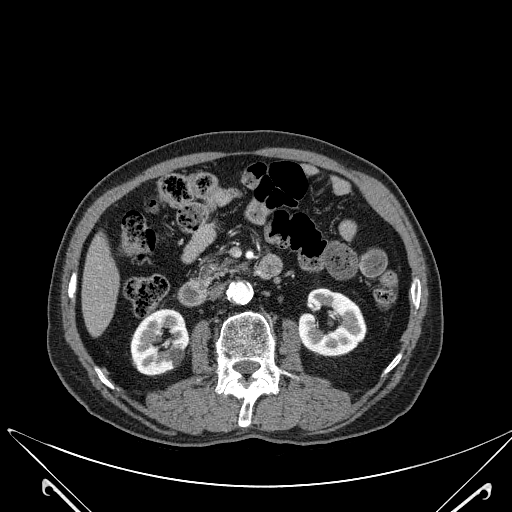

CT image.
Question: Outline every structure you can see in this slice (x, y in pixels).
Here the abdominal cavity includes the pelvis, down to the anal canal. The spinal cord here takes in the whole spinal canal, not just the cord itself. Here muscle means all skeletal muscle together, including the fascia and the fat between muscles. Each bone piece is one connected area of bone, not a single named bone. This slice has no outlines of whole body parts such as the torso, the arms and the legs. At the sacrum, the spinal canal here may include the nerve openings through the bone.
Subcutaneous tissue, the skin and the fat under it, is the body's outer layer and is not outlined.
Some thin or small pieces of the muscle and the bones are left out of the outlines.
Answer: The abdominal cavity is outlined by (240, 155) (344, 175) (401, 239) (408, 319) (397, 352) (365, 390) (305, 372) (298, 324) (281, 320) (277, 348) (270, 322) (250, 309) (222, 321) (213, 366) (211, 320) (199, 320) (190, 332) (192, 374) (164, 389) (126, 392) (84, 345) (77, 278) (100, 216) (147, 180). The spinal cord is outlined by (240, 361) (253, 361) (254, 362) (257, 362) (259, 364) (259, 367) (256, 370) (255, 370) (251, 374) (250, 374) (247, 376) (245, 376) (244, 375) (243, 375) (240, 372) (239, 372) (238, 371) (235, 370) (233, 368) (233, 365) (235, 363) (236, 363) (237, 362) (239, 362). The muscle is outlined by (265, 147) (296, 148) (302, 150) (308, 150) (324, 155) (337, 161) (347, 168) (363, 172) (376, 178) (383, 183) (395, 196) (413, 227) (413, 229) (420, 244) (421, 250) (423, 253) (425, 259) (425, 263) (427, 267) (428, 303) (427, 304) (426, 313) (422, 322) (421, 334) (417, 340) (415, 347) (412, 351) (409, 362) (400, 381) (391, 391) (372, 405) (360, 416) (353, 421) (335, 430) (329, 431) (325, 433) (302, 434) (301, 433) (282, 432) (276, 430) (274, 431) (266, 431) (255, 428) (249, 428) (246, 430) (235, 429) (232, 432) (223, 434) (198, 434) (197, 435) (193, 434) (175, 435) (174, 434) (168, 434) (156, 431) (142, 423) (139, 420) (130, 416) (103, 397) (100, 392) (91, 384) (85, 369) (78, 360) (77, 356) (65, 340) (63, 324) (62, 323) (62, 313) (61, 312) (61, 284) (62, 283) (62, 275) (65, 263) (66, 252) (71, 237) (76, 226) (82, 218) (83, 214) (87, 208) (99, 196) (112, 187) (122, 183) (130, 178) (132, 178) (152, 165) (174, 157) (186, 154) (191, 154) (196, 152) (204, 152) (205, 151) (229, 152) (230, 151) (240, 151) (241, 150) (255, 150) with a hole at (240, 155) (349, 178) (398, 234) (421, 286) (417, 309) (408, 295) (399, 362) (363, 391) (305, 372) (298, 324) (284, 317) (274, 361) (300, 379) (281, 375) (246, 427) (242, 400) (215, 391) (210, 319) (190, 332) (190, 376) (126, 392) (98, 377) (67, 292) (116, 200). The bones appear in 5 outlined pieces: piece 1: (248, 310) (262, 314) (269, 322) (274, 335) (275, 363) (281, 369) (298, 375) (300, 379) (281, 375) (278, 393) (261, 394) (252, 406) (251, 423) (246, 427) (241, 427) (238, 424) (238, 416) (242, 400) (232, 394) (225, 395) (215, 391) (217, 352) (214, 343) (226, 318), around a hole outlined by (240, 361) (253, 361) (254, 362) (257, 362) (259, 364) (259, 367) (256, 370) (255, 370) (251, 374) (250, 374) (247, 376) (245, 376) (244, 375) (243, 375) (240, 372) (239, 372) (238, 371) (235, 370) (233, 368) (233, 365) (235, 363) (236, 363) (237, 362) (239, 362); piece 2: (413, 276) (416, 276) (418, 277) (419, 279) (419, 281) (420, 282) (420, 285) (421, 286) (421, 296) (420, 297) (420, 305) (417, 309) (415, 308) (413, 304) (413, 302) (411, 299) (411, 296) (410, 295) (410, 285) (411, 284) (411, 281) (412, 280) (412, 277); piece 3: (74, 271) (76, 271) (77, 273) (77, 277) (76, 278) (76, 291) (75, 292) (75, 299) (74, 300) (72, 300) (69, 298) (68, 296) (68, 293) (67, 292) (67, 290) (68, 289) (68, 284) (70, 280) (70, 277) (71, 276) (71, 274) (72, 272); piece 4: (398, 351) (402, 351) (402, 356) (401, 357) (401, 358) (400, 359) (399, 362) (395, 366) (395, 367) (394, 367) (389, 372) (388, 372) (384, 376) (381, 376) (381, 374) (382, 373) (383, 370) (388, 365) (388, 364) (392, 360) (392, 359) (395, 356) (395, 355) (398, 352); piece 5: (95, 364) (96, 365) (97, 365) (101, 369) (101, 370) (104, 374) (104, 375) (110, 381) (111, 381) (113, 383) (113, 384) (115, 387) (115, 388) (114, 389) (111, 389) (110, 388) (109, 388) (100, 380) (100, 379) (98, 377) (98, 376) (94, 369) (94, 365).